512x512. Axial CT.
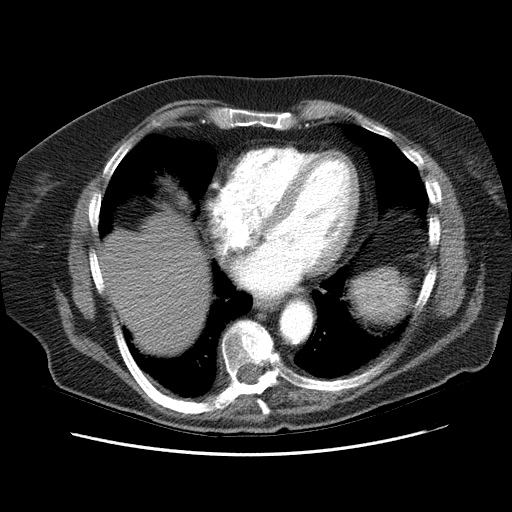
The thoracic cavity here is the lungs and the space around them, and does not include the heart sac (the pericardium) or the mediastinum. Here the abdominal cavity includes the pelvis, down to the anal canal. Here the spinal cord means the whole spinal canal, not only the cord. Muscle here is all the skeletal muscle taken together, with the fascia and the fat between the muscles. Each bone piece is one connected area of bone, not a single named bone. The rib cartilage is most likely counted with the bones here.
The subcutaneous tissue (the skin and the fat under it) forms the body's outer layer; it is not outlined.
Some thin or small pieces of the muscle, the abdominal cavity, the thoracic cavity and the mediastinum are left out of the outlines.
{"mediastinum":[[[186,116],[205,117],[221,129],[258,125],[288,130],[322,118],[349,122],[342,129],[365,152],[375,186],[378,219],[373,235],[341,266],[364,230],[370,212],[366,174],[343,145],[303,138],[254,137],[228,151],[214,173],[217,159],[211,147],[155,131]],[[337,268],[334,273],[320,282],[319,288],[311,292],[316,309],[315,328],[309,340],[293,356],[291,364],[286,363],[274,350],[270,333],[255,320],[238,319],[223,333],[226,324],[251,309],[253,300],[253,303],[260,308],[272,309],[286,296],[306,289]],[[198,216],[198,218],[200,222],[200,225],[205,238],[206,244],[212,256],[215,259],[217,259],[218,260],[218,262],[219,263],[219,265],[221,267],[221,269],[217,261],[215,259],[211,259],[210,255],[205,247],[199,228],[196,222],[196,218]]],"abdominal_cavity":[[[164,169],[179,176],[195,206],[192,217],[211,260],[215,298],[209,308],[205,327],[193,345],[179,356],[157,358],[141,353],[128,329],[122,325],[118,308],[106,289],[98,252],[100,240],[112,229],[116,206],[135,194],[150,197],[154,191],[154,172]],[[398,205],[413,208],[421,220],[421,228],[427,234],[428,267],[410,313],[381,335],[374,335],[366,331],[354,319],[348,310],[348,304],[341,299],[341,297],[350,273],[350,266],[347,265],[374,235],[379,219],[378,212],[382,214],[388,208]]],"thoracic_cavity":[[[343,266],[349,266],[349,273],[340,299],[347,304],[350,315],[366,332],[381,336],[409,315],[407,324],[399,339],[383,356],[360,373],[333,379],[302,374],[288,365],[293,363],[294,356],[310,340],[316,328],[317,309],[312,292],[319,289],[323,280]],[[212,260],[216,261],[238,290],[251,296],[252,304],[246,313],[226,323],[223,328],[219,342],[223,371],[207,393],[188,400],[162,392],[148,379],[128,347],[122,326],[131,335],[133,345],[144,356],[157,359],[181,356],[204,331],[210,308],[216,298]],[[151,132],[176,140],[200,142],[214,151],[216,165],[199,202],[198,215],[193,217],[196,206],[180,176],[164,168],[161,171],[153,172],[151,181],[153,191],[150,196],[135,193],[115,206],[111,229],[100,239],[98,231],[100,209],[108,182],[126,154]],[[348,123],[356,124],[375,134],[383,136],[391,140],[418,169],[430,204],[427,212],[427,233],[422,228],[422,220],[413,207],[410,207],[408,205],[398,204],[388,207],[382,213],[378,211],[376,186],[368,156],[364,149],[344,131],[342,126]]],"muscle":[{"outer":[[184,99],[217,99],[237,107],[215,105],[207,118],[182,116],[193,108],[190,105],[165,110],[147,125],[159,129],[133,146],[130,137],[107,160],[101,174],[107,182],[103,194],[94,190],[87,209],[89,225],[99,239],[97,254],[92,247],[88,250],[94,286],[113,299],[122,324],[111,317],[119,354],[155,403],[183,414],[222,410],[240,395],[259,396],[278,386],[279,377],[310,390],[356,388],[396,359],[402,348],[380,359],[400,339],[412,310],[419,313],[430,297],[438,269],[434,262],[429,266],[428,244],[432,249],[438,246],[441,222],[437,213],[428,214],[430,205],[441,205],[442,191],[433,175],[422,179],[424,158],[409,145],[398,146],[391,131],[360,113],[354,115],[356,123],[324,117],[337,113],[328,103],[304,106],[299,125],[293,112],[273,111],[303,99],[355,109],[421,145],[443,169],[464,216],[467,274],[475,275],[485,265],[477,319],[422,363],[325,410],[245,422],[175,418],[151,407],[109,369],[72,347],[56,308],[53,283],[70,280],[67,240],[74,208],[110,149],[153,111]],"hole":[[258,397],[259,397],[263,401],[264,401],[265,402],[265,403],[267,405],[267,406],[270,409],[270,411],[268,414],[265,414],[262,412],[262,411],[261,410],[261,408],[259,406],[259,405],[257,403],[257,402],[256,401],[256,399]]},[[224,371],[224,372],[227,376],[227,383],[226,385],[221,390],[220,390],[218,392],[216,393],[214,393],[213,394],[210,394],[208,395],[204,399],[202,399],[201,400],[195,400],[207,394],[212,389],[212,388],[214,386],[214,385],[222,374],[222,372]]],"pericardium":[[[263,137],[325,141],[343,146],[353,154],[361,166],[367,181],[369,195],[369,212],[366,224],[345,262],[306,288],[286,295],[272,308],[256,305],[252,296],[238,289],[227,276],[219,260],[213,256],[207,244],[199,218],[200,204],[222,159],[240,142]]],"spinal_cord":[[[249,363],[251,363],[252,364],[257,365],[258,366],[261,367],[263,370],[262,371],[262,372],[258,376],[256,381],[253,383],[247,383],[244,381],[240,381],[238,378],[238,373],[239,372],[239,370],[240,369],[240,368],[245,364],[248,364]]],"torso":[[[198,74],[356,75],[413,91],[472,118],[501,183],[511,239],[505,312],[482,369],[459,373],[337,425],[308,431],[282,428],[264,436],[176,431],[70,395],[53,381],[44,349],[10,319],[4,302],[0,239],[17,162],[48,135],[113,98],[160,80]]],"bones":[{"outer":[[112,317],[147,379],[162,393],[188,401],[204,400],[227,385],[220,342],[242,319],[266,329],[289,367],[322,380],[360,374],[402,350],[356,387],[310,389],[279,376],[278,385],[259,395],[240,394],[222,409],[183,413],[155,402],[135,380],[120,354]],"hole":[[249,363],[251,363],[252,364],[257,365],[258,366],[261,367],[263,370],[262,371],[262,372],[258,376],[256,381],[253,383],[247,383],[244,381],[240,381],[238,378],[238,373],[239,372],[239,370],[240,369],[240,368],[245,364],[248,364]]},[[215,106],[229,107],[230,108],[241,108],[242,109],[251,110],[255,112],[276,112],[279,113],[280,112],[289,111],[296,116],[299,123],[297,126],[288,129],[276,129],[258,124],[249,125],[248,126],[235,126],[230,128],[221,128],[208,118],[208,111]],[[433,263],[435,264],[436,268],[437,269],[435,281],[434,282],[432,290],[429,295],[429,297],[427,299],[425,304],[422,307],[421,310],[419,312],[417,312],[414,308],[414,304],[420,292],[420,290],[421,289],[423,281],[425,278],[426,273],[429,267]],[[132,137],[133,138],[132,147],[125,154],[125,155],[118,163],[115,169],[113,171],[110,178],[108,180],[108,181],[107,181],[107,180],[104,177],[103,177],[102,175],[103,173],[103,169],[106,163],[117,150],[117,149],[124,142]],[[313,104],[328,104],[332,107],[333,107],[335,109],[336,111],[336,113],[334,115],[332,115],[331,116],[329,116],[328,115],[327,116],[324,116],[321,118],[308,120],[305,122],[305,120],[301,116],[301,113],[304,107],[308,105],[312,105]],[[97,189],[102,193],[102,198],[101,199],[101,204],[99,209],[98,227],[97,228],[97,231],[94,232],[92,230],[92,228],[90,225],[89,217],[88,216],[88,211],[89,210],[88,209],[89,208],[89,202],[92,196],[92,194],[93,192]],[[91,248],[94,249],[96,252],[97,258],[98,259],[98,263],[101,272],[101,275],[103,278],[103,281],[105,286],[104,291],[102,294],[100,294],[98,292],[95,286],[92,277],[91,270],[90,269],[90,265],[89,264],[89,250]],[[427,174],[431,176],[433,176],[436,179],[439,184],[440,190],[441,191],[441,203],[440,205],[438,205],[437,204],[433,205],[430,203],[430,201],[429,200],[429,198],[427,194],[427,191],[425,187],[425,184],[424,183],[424,179],[425,178],[425,176]],[[180,106],[190,106],[192,107],[189,111],[183,115],[174,119],[166,119],[163,122],[163,127],[161,128],[160,127],[152,127],[151,126],[148,126],[152,120],[154,119],[157,120],[160,119],[161,118],[161,115],[165,111]],[[431,214],[437,214],[438,215],[438,216],[439,217],[439,221],[440,222],[440,234],[439,235],[439,241],[438,242],[438,244],[437,245],[437,246],[435,248],[432,248],[431,247],[430,247],[429,246],[429,244],[428,243],[428,218],[429,217],[429,216]],[[356,114],[360,114],[363,118],[372,122],[374,124],[378,126],[380,126],[388,130],[393,134],[394,136],[394,139],[392,140],[383,135],[381,135],[380,134],[375,133],[359,125],[357,123],[355,119],[355,115]],[[402,146],[409,146],[410,147],[413,148],[415,150],[416,150],[419,152],[420,155],[423,158],[423,159],[424,160],[424,163],[425,164],[425,166],[423,168],[423,169],[419,169],[401,151],[401,150],[399,148],[399,147],[401,147]],[[258,397],[259,397],[263,401],[264,401],[265,402],[265,403],[267,405],[267,406],[270,409],[270,411],[268,414],[265,414],[262,412],[262,411],[261,410],[261,408],[259,406],[259,405],[257,403],[257,402],[256,401],[256,399]]]}